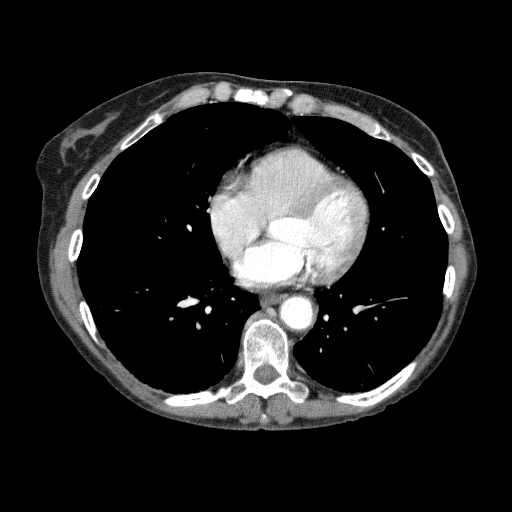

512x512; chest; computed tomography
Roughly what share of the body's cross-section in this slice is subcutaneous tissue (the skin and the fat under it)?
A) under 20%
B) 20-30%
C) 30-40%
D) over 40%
Answer: A) under 20%
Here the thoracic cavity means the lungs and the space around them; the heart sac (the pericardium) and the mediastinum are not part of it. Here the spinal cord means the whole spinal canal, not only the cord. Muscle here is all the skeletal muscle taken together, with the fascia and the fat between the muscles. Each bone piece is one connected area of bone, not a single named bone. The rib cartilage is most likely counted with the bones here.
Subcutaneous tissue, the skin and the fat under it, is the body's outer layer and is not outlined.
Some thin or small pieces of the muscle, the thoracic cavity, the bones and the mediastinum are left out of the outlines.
Outlines (x, y in pixels):
bones 1: 254 313; 253 320; 268 318; 278 324; 291 342; 291 377; 298 378; 309 388; 308 396; 301 403; 294 402; 284 392; 277 392; 266 399; 249 392; 231 404; 224 398; 188 406; 170 406; 163 402; 169 394; 215 390; 233 378; 244 326, around a hole outlined by 265 364; 270 365; 272 367; 273 367; 273 368; 277 372; 277 373; 278 374; 278 376; 275 379; 274 379; 272 381; 271 381; 268 383; 262 383; 261 382; 258 381; 254 377; 254 373; 255 372; 255 371; 259 367; 260 367
bones 2: 222 81; 236 89; 259 88; 267 92; 286 87; 322 103; 348 107; 377 122; 393 139; 374 137; 347 121; 319 112; 300 115; 285 107; 213 99; 170 114; 120 151; 122 141; 150 114; 173 112; 173 104; 185 91; 196 86; 211 88
bones 3: 414 359; 417 361; 417 365; 409 377; 399 387; 389 395; 375 404; 368 405; 367 406; 361 406; 360 405; 353 405; 349 403; 339 402; 336 400; 335 398; 336 396; 338 395; 345 393; 352 394; 359 392; 365 392; 381 385; 394 376
bones 4: 82 299; 84 299; 85 300; 89 308; 89 310; 91 313; 91 315; 93 318; 94 323; 96 326; 96 328; 97 329; 97 336; 100 342; 100 344; 99 345; 97 344; 91 337; 81 317; 81 315; 79 311; 79 302
bones 5: 78 227; 82 227; 82 241; 81 242; 81 248; 80 249; 80 251; 79 252; 79 254; 78 255; 78 257; 76 261; 72 263; 69 260; 69 258; 68 257; 68 249; 69 248; 69 243; 70 242; 71 235; 73 231; 76 228
bones 6: 438 203; 443 203; 445 204; 446 206; 449 209; 452 215; 452 217; 454 221; 454 229; 453 230; 453 233; 451 235; 449 235; 448 236; 447 235; 442 225; 442 223; 440 220; 440 218; 438 214; 438 211; 437 210; 437 204
bones 7: 448 264; 452 264; 455 268; 455 282; 453 286; 453 289; 452 290; 451 295; 448 299; 444 300; 443 299; 444 298; 443 297; 443 294; 442 293; 442 289; 443 288; 443 284; 444 283; 445 272; 446 271; 446 269; 447 268
bones 8: 412 150; 413 151; 415 151; 416 152; 417 152; 423 157; 424 157; 432 166; 432 167; 434 170; 434 174; 432 176; 430 176; 429 177; 428 177; 418 167; 418 166; 413 161; 413 160; 407 154; 407 153; 408 152; 409 152
bones 9: 95 172; 97 172; 101 174; 100 179; 95 189; 93 191; 92 194; 89 197; 89 198; 87 200; 84 200; 82 198; 82 196; 81 195; 82 194; 82 191; 83 190; 83 188; 86 184; 87 181; 91 176; 91 175
mediastinum 1: 240 287; 283 293; 304 293; 323 287; 328 287; 324 287; 314 293; 314 296; 319 306; 315 324; 301 340; 296 342; 292 346; 291 349; 292 342; 287 333; 278 323; 268 317; 253 319; 255 316; 255 312; 260 308; 258 298; 254 293
mediastinum 2: 292 123; 323 155; 329 159; 327 159; 324 157; 323 155; 313 148; 308 148; 303 145; 300 145; 289 141; 271 144; 266 147; 258 149; 256 151; 249 153; 263 146; 270 144; 275 141; 281 140; 284 138; 287 135; 287 133; 290 129
spinal cord: 265 364; 270 365; 272 367; 273 367; 273 368; 277 372; 277 373; 278 374; 278 376; 275 379; 274 379; 272 381; 271 381; 268 383; 262 383; 261 382; 258 381; 254 377; 254 373; 255 372; 255 371; 259 367; 260 367
pericardium: 285 142; 315 150; 343 170; 358 186; 366 199; 369 212; 364 240; 354 263; 338 279; 328 286; 304 292; 283 292; 242 287; 238 285; 230 275; 217 247; 211 227; 209 212; 210 198; 216 191; 223 175; 233 168; 240 160; 258 150
thoracic cavity: 228 101; 290 121; 342 120; 428 178; 447 236; 441 311; 381 384; 342 392; 292 362; 318 319; 315 293; 355 263; 370 219; 359 186; 292 122; 209 198; 222 263; 259 305; 229 375; 169 393; 98 332; 77 260; 102 175; 170 115
torso: 199 71; 355 87; 409 110; 438 139; 470 226; 477 275; 459 329; 441 363; 417 390; 384 411; 355 421; 296 430; 229 430; 168 419; 114 389; 79 354; 52 316; 36 262; 42 188; 35 165; 42 147; 85 112; 124 91; 161 77
muscle 1: 132 130; 121 141; 118 146; 120 152; 103 173; 93 172; 83 186; 80 195; 87 201; 87 205; 82 226; 76 227; 70 235; 67 257; 72 264; 76 262; 83 296; 78 302; 78 311; 90 337; 99 346; 101 342; 98 333; 113 355; 136 378; 152 388; 168 393; 162 399; 164 404; 170 407; 188 407; 224 399; 231 405; 249 393; 264 400; 277 393; 284 393; 294 403; 301 404; 309 396; 310 388; 298 377; 292 377; 292 363; 298 365; 301 373; 311 381; 344 393; 335 396; 339 403; 372 406; 399 388; 418 365; 415 357; 434 331; 443 300; 450 298; 456 282; 456 268; 452 263; 448 263; 448 237; 454 233; 455 221; 447 205; 436 202; 429 179; 435 174; 435 170; 428 160; 446 185; 457 209; 469 255; 468 273; 453 323; 434 357; 403 390; 368 410; 340 416; 296 417; 286 424; 276 421; 241 423; 233 417; 197 418; 175 415; 159 410; 132 394; 89 350; 66 321; 52 295; 49 275; 50 246; 63 223; 74 188; 92 165; inner edge: 262 413; 263 413; 264 413; 265 414; 266 415; 267 416; 267 417; 267 418; 267 419; 267 420; 267 421; 266 421; 265 422; 264 421; 263 421; 262 422; 261 421; 260 420; 260 419; 261 418; 261 417; 261 416; 261 415; 261 414
muscle 2: 210 81; 221 81; 215 83; 211 87; 203 86; 202 85; 196 85; 187 90; 185 90; 172 104; 172 108; 174 110; 173 111; 167 111; 166 110; 159 111; 156 110; 150 113; 153 110; 159 107; 163 103; 189 87; 198 83; 203 83
muscle 3: 384 127; 385 127; 393 134; 397 136; 399 136; 403 140; 407 142; 417 151; 415 150; 413 150; 412 149; 408 151; 406 153; 401 149; 400 149; 396 145; 390 142; 391 142; 394 139; 394 137; 392 136; 390 134; 390 133